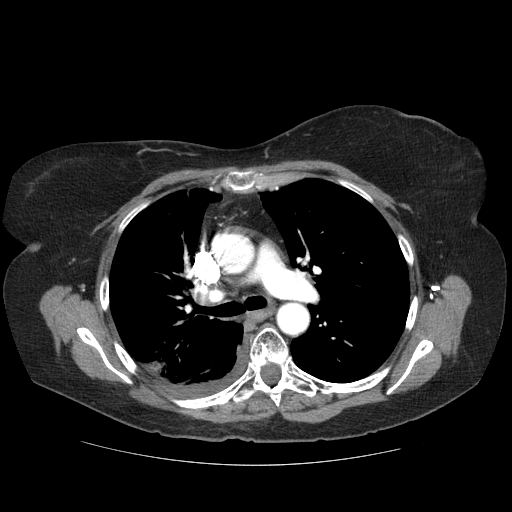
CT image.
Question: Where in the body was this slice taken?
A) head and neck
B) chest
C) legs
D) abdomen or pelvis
Answer: B) chest
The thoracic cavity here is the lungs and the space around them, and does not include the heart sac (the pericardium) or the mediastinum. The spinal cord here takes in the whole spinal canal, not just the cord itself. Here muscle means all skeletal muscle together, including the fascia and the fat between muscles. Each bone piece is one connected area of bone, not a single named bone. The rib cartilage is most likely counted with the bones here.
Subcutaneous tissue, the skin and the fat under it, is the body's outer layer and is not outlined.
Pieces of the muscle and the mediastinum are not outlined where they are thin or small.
{"muscle":[{"outer":[[297,159],[320,159],[340,164],[373,183],[396,201],[406,203],[410,206],[412,212],[403,208],[399,209],[399,220],[415,244],[425,287],[434,286],[446,274],[455,273],[463,277],[471,289],[471,303],[464,317],[460,341],[453,361],[451,358],[448,358],[429,380],[415,389],[394,394],[390,399],[385,401],[346,408],[333,417],[321,422],[290,421],[277,413],[252,422],[240,421],[220,424],[190,418],[141,403],[127,395],[119,393],[103,380],[90,378],[58,355],[52,334],[40,313],[38,304],[42,294],[54,284],[71,285],[73,290],[79,292],[83,298],[92,297],[100,253],[109,234],[103,228],[91,234],[96,225],[138,194],[151,181],[174,170],[233,165],[245,167]],"holes":[[[250,168],[351,181],[410,243],[416,317],[374,386],[311,397],[285,389],[278,407],[258,390],[240,402],[193,409],[171,402],[174,395],[139,367],[131,373],[117,355],[113,340],[122,342],[110,309],[101,307],[99,283],[110,273],[123,218],[145,199]],[[82,326],[83,327],[87,328],[93,334],[101,346],[108,361],[117,370],[128,376],[133,382],[132,384],[129,384],[123,381],[117,374],[109,369],[105,365],[99,352],[93,346],[91,346],[85,343],[80,338],[77,333],[77,328],[78,327],[81,327]],[[423,339],[428,339],[432,342],[433,344],[433,347],[432,349],[425,355],[418,359],[413,364],[409,373],[406,376],[403,381],[390,394],[386,394],[386,390],[392,385],[393,385],[403,374],[409,363],[410,358],[416,346],[418,344],[418,343]]]}],"spinal_cord":[[[268,363],[273,363],[274,364],[276,364],[279,367],[279,369],[280,370],[280,377],[279,379],[276,382],[276,383],[272,385],[270,384],[268,384],[266,382],[265,382],[262,378],[262,376],[261,375],[261,371],[262,370],[262,368]]],"thoracic_cavity":[[[310,177],[338,184],[374,206],[395,235],[408,267],[410,301],[403,331],[390,354],[375,371],[352,381],[321,379],[300,368],[290,353],[292,340],[305,334],[310,325],[308,281],[301,271],[292,267],[284,239],[263,206],[261,192],[276,192],[282,186]],[[193,186],[204,186],[219,194],[220,199],[210,202],[203,214],[191,273],[201,299],[218,317],[242,325],[243,337],[249,338],[249,360],[244,371],[225,388],[205,396],[178,398],[158,387],[123,346],[110,310],[109,274],[120,236],[135,216],[166,194]]],"bones":[{"outer":[[267,326],[285,340],[293,362],[321,380],[352,382],[389,364],[391,368],[377,384],[360,391],[324,394],[318,390],[310,397],[285,389],[278,407],[260,390],[240,402],[230,399],[205,408],[180,407],[169,396],[205,397],[234,382],[250,360],[250,338]],"hole":[[268,363],[273,363],[274,364],[276,364],[279,367],[279,369],[280,370],[280,377],[279,379],[276,382],[276,383],[272,385],[270,384],[268,384],[266,382],[265,382],[262,378],[262,376],[261,375],[261,371],[262,370],[262,368]]},[[250,168],[264,174],[276,174],[282,172],[306,172],[316,176],[305,177],[281,186],[278,184],[270,185],[267,188],[268,190],[254,190],[251,192],[242,193],[234,192],[230,189],[220,188],[214,184],[209,183],[217,174],[226,174],[231,170],[246,170]],[[82,326],[83,327],[87,328],[93,334],[101,346],[108,361],[117,370],[128,376],[133,382],[132,384],[129,384],[123,381],[117,374],[109,369],[105,365],[99,352],[93,346],[91,346],[85,343],[80,338],[77,333],[77,328],[78,327],[81,327]],[[423,339],[428,339],[432,342],[433,344],[433,347],[432,349],[425,355],[418,359],[413,364],[409,373],[406,376],[403,381],[390,394],[386,394],[386,390],[392,385],[393,385],[403,374],[409,363],[410,358],[416,346],[418,344],[418,343]],[[113,340],[117,340],[122,345],[124,349],[136,363],[137,365],[137,367],[138,368],[136,371],[136,374],[133,374],[131,373],[122,363],[122,362],[120,360],[119,357],[117,355],[115,351],[115,349],[113,345]],[[145,199],[150,199],[151,200],[151,203],[150,203],[145,208],[141,210],[136,215],[135,215],[134,217],[124,228],[121,234],[119,235],[118,234],[118,226],[121,222],[121,221],[123,219],[123,218],[133,207],[134,207]],[[105,274],[108,274],[108,280],[109,281],[109,308],[106,311],[104,311],[102,309],[102,308],[101,307],[101,304],[100,303],[100,300],[99,299],[99,283],[100,282],[100,281],[101,280],[101,279],[102,278],[102,277]],[[337,178],[342,178],[343,179],[351,181],[355,184],[358,185],[363,190],[364,190],[368,194],[370,195],[370,196],[374,201],[375,206],[357,193],[350,190],[348,188],[338,183],[334,182],[334,180],[335,180]],[[397,233],[401,233],[408,240],[408,241],[410,243],[410,245],[411,246],[411,248],[413,252],[413,264],[411,267],[409,267],[408,266],[404,258],[404,256],[402,253],[402,251],[400,248],[400,246],[399,245],[399,243],[398,242],[398,240],[396,236]],[[414,295],[416,295],[418,297],[418,308],[417,309],[417,313],[416,314],[416,317],[415,318],[414,323],[411,329],[408,331],[407,330],[404,330],[404,328],[405,327],[405,323],[406,322],[406,319],[407,318],[407,315],[409,310],[410,302]]],"torso":[[[351,104],[380,104],[435,119],[471,139],[483,154],[488,180],[478,220],[501,246],[507,288],[499,335],[471,390],[422,418],[364,436],[255,443],[144,432],[34,383],[3,296],[6,269],[24,248],[3,227],[18,166],[48,149],[87,141],[249,146]]],"mediastinum":[[[207,184],[234,193],[259,191],[262,206],[283,239],[291,267],[301,272],[307,281],[309,325],[305,333],[289,344],[272,325],[244,337],[241,323],[219,317],[216,310],[202,299],[192,273],[192,264],[206,209],[210,203],[221,199],[219,193],[205,187]]]}